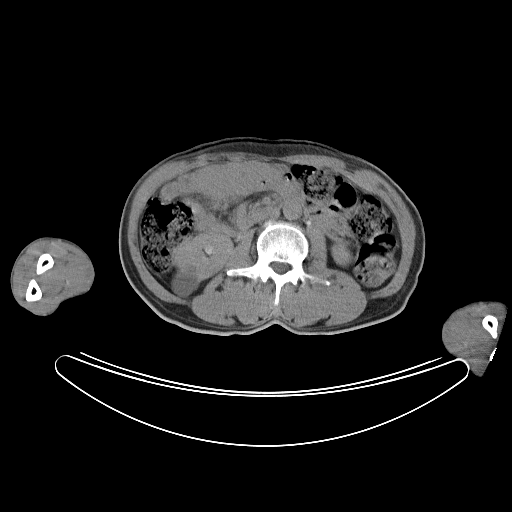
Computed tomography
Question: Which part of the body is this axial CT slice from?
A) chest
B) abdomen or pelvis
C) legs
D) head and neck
Answer: B) abdomen or pelvis
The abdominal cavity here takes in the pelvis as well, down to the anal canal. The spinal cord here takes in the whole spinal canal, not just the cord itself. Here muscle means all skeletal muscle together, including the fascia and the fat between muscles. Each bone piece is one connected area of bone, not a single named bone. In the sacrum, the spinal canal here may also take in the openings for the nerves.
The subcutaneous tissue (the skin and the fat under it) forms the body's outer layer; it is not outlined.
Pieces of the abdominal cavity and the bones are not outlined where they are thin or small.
Outlines (x, y in pixels):
bones 1: 267 221; 287 222; 302 230; 309 245; 303 269; 319 279; 328 280; 329 285; 309 279; 296 285; 287 282; 280 290; 278 304; 274 305; 275 286; 270 279; 262 282; 246 276; 227 275; 226 271; 230 268; 250 266; 256 261; 256 239; inner edge: 272 262; 279 262; 280 263; 286 263; 288 265; 289 265; 289 268; 285 272; 284 272; 283 273; 277 273; 271 267; 271 266; 270 265; 270 264
bones 2: 32 278; 35 279; 35 280; 37 282; 37 283; 41 290; 41 297; 40 298; 40 299; 39 299; 38 300; 36 300; 35 301; 27 301; 25 298; 25 293; 26 292; 26 289; 27 288; 28 283; 29 282; 30 279; 31 279
bones 3: 42 253; 49 253; 51 255; 51 256; 53 258; 53 265; 52 266; 52 267; 51 267; 49 269; 48 269; 47 270; 46 270; 41 274; 37 274; 36 273; 36 264; 37 263; 37 260; 38 259; 38 258; 39 257; 39 256
bones 4: 487 314; 491 314; 492 315; 493 315; 494 316; 495 316; 497 318; 497 321; 498 322; 498 323; 497 324; 497 337; 496 338; 493 338; 491 336; 491 335; 483 327; 483 326; 482 325; 482 319; 484 317; 484 316; 485 316
torso: 230 136; 298 138; 321 142; 372 162; 403 189; 421 215; 426 244; 417 285; 398 314; 379 323; 329 335; 296 334; 278 324; 249 334; 213 335; 170 323; 145 303; 130 285; 118 251; 119 221; 130 189; 148 167; 168 155; 202 142
spinal cord: 272 262; 279 262; 280 263; 286 263; 288 265; 289 265; 289 268; 285 272; 284 272; 283 273; 277 273; 271 267; 271 266; 270 265; 270 264
left arm: 483 299; 500 300; 506 304; 507 311; 501 334; 497 342; 498 344; 497 348; 489 361; 489 363; 483 375; 481 377; 479 377; 476 376; 470 371; 470 369; 465 361; 454 357; 446 350; 441 340; 441 328; 445 319; 454 309; 468 302
right arm: 41 236; 57 236; 73 241; 79 245; 88 254; 92 261; 95 272; 95 276; 91 288; 86 293; 67 299; 62 302; 59 307; 53 313; 46 316; 35 315; 20 306; 16 302; 12 295; 9 282; 10 271; 12 265; 20 250; 30 241
abdominal cavity: 273 160; 328 167; 387 205; 401 241; 387 283; 365 291; 350 274; 327 265; 319 227; 308 229; 307 237; 298 225; 283 220; 265 221; 255 240; 255 230; 247 229; 224 269; 190 298; 158 281; 141 251; 139 223; 160 186; 201 166
muscle 1: 220 152; 239 152; 240 153; 246 153; 247 154; 262 155; 267 157; 282 157; 293 154; 319 154; 320 155; 325 155; 326 156; 334 157; 343 161; 345 163; 354 164; 357 166; 366 169; 369 169; 379 175; 384 179; 400 196; 406 205; 413 219; 413 222; 415 226; 415 245; 414 246; 413 255; 412 256; 409 271; 401 288; 397 292; 390 296; 387 296; 382 298; 376 298; 370 300; 368 302; 364 311; 359 316; 346 323; 338 326; 312 327; 311 328; 297 328; 290 325; 287 321; 282 319; 280 317; 272 317; 263 323; 256 326; 246 326; 245 327; 236 327; 235 328; 232 327; 223 327; 218 325; 214 325; 210 322; 207 322; 202 320; 197 317; 191 310; 185 305; 166 302; 158 298; 148 289; 142 281; 130 254; 129 246; 128 245; 128 240; 127 239; 127 227; 128 226; 128 219; 129 218; 129 214; 130 213; 133 199; 139 188; 146 180; 146 178; 156 168; 173 160; 184 158; 189 155; 194 156; 195 155; 211 154; 212 153; 219 153; inner edge: 273 160; 328 167; 387 205; 401 241; 387 283; 365 291; 329 267; 316 226; 307 230; 302 266; 330 283; 287 282; 277 305; 270 279; 226 273; 256 261; 252 228; 199 293; 182 297; 158 281; 141 251; 139 223; 160 186; 201 166
muscle 2: 43 239; 60 240; 66 242; 77 248; 84 255; 88 262; 89 269; 90 270; 90 281; 85 289; 80 292; 65 297; 62 299; 53 309; 47 312; 38 312; 24 303; 16 295; 13 287; 13 274; 19 258; 26 251; 27 248; 34 242 with holes at 32 278; 35 279; 35 280; 37 282; 37 283; 41 290; 41 297; 40 298; 40 299; 39 299; 38 300; 36 300; 35 301; 27 301; 25 298; 25 293; 26 292; 26 289; 27 288; 28 283; 29 282; 30 279; 31 279 and at 42 253; 49 253; 51 255; 51 256; 53 258; 53 265; 52 266; 52 267; 51 267; 49 269; 48 269; 47 270; 46 270; 41 274; 37 274; 36 273; 36 264; 37 263; 37 260; 38 259; 38 258; 39 257; 39 256
muscle 3: 479 303; 497 303; 500 305; 503 305; 507 308; 505 320; 503 324; 501 334; 497 342; 496 347; 490 353; 489 363; 484 372; 477 371; 474 368; 471 367; 471 364; 466 358; 460 356; 452 351; 445 338; 447 324; 454 314; 463 308 with a hole at 487 314; 491 314; 492 315; 493 315; 494 316; 495 316; 497 318; 497 321; 498 322; 498 323; 497 324; 497 337; 496 338; 493 338; 491 336; 491 335; 483 327; 483 326; 482 325; 482 319; 484 317; 484 316; 485 316